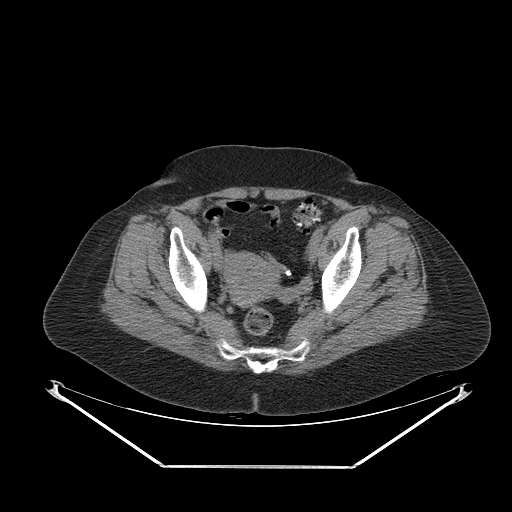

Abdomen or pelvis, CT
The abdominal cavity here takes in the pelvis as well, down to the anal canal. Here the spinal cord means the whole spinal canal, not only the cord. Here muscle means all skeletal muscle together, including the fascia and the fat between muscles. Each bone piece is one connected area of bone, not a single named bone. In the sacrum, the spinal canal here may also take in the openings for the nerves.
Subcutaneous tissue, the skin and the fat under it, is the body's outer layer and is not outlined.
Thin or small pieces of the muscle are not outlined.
{"bones":[[[352,226],[357,227],[359,230],[359,242],[361,247],[361,256],[362,257],[361,269],[355,283],[345,297],[337,307],[330,314],[328,314],[324,312],[322,305],[322,292],[321,291],[322,273],[324,268],[335,252],[344,243],[346,236],[346,231],[348,228]],[[174,226],[177,226],[181,230],[183,236],[183,241],[185,245],[195,254],[200,262],[206,276],[207,280],[207,302],[204,310],[201,312],[195,311],[186,303],[177,291],[169,272],[168,268],[168,257],[169,256],[169,246],[170,245],[169,235],[170,230]],[[305,338],[310,344],[309,350],[302,361],[282,359],[278,361],[274,370],[261,373],[254,373],[243,357],[231,360],[225,359],[220,355],[216,345],[219,340],[224,339],[230,345],[239,349],[244,349],[250,346],[275,346],[283,349],[290,349],[297,346]]],"muscle":[[[234,186],[309,190],[355,205],[382,205],[398,212],[409,223],[422,257],[429,297],[425,323],[307,373],[271,372],[279,361],[305,359],[311,344],[306,337],[290,348],[279,344],[295,322],[318,302],[328,315],[338,307],[356,283],[363,257],[360,230],[352,225],[322,270],[318,256],[322,238],[344,212],[316,195],[269,199],[261,192],[255,197],[207,198],[199,211],[191,215],[208,244],[207,274],[196,254],[186,245],[182,230],[174,225],[168,235],[167,268],[176,291],[195,312],[203,312],[209,303],[233,322],[248,346],[239,348],[224,338],[215,345],[225,360],[243,358],[251,371],[215,370],[120,330],[105,317],[100,303],[118,237],[130,216],[145,207],[175,205]]],"torso":[[[219,144],[320,150],[347,162],[361,180],[397,194],[445,235],[469,268],[491,321],[491,336],[484,352],[465,367],[423,376],[359,404],[317,413],[268,416],[257,412],[209,413],[163,402],[52,344],[42,326],[43,308],[89,227],[155,180],[175,157]]],"abdominal_cavity":[[[261,193],[269,200],[316,196],[331,202],[343,212],[331,223],[317,250],[318,265],[322,271],[321,303],[318,301],[306,315],[299,317],[277,346],[249,346],[234,322],[208,303],[206,275],[211,267],[210,248],[191,217],[200,211],[207,199],[255,198]]],"spinal_cord":[[[259,359],[260,359],[261,359],[262,359],[263,359],[264,359],[265,359],[266,359],[267,359],[266,360],[265,361],[264,361],[263,362],[262,361],[261,361],[260,360]]]}